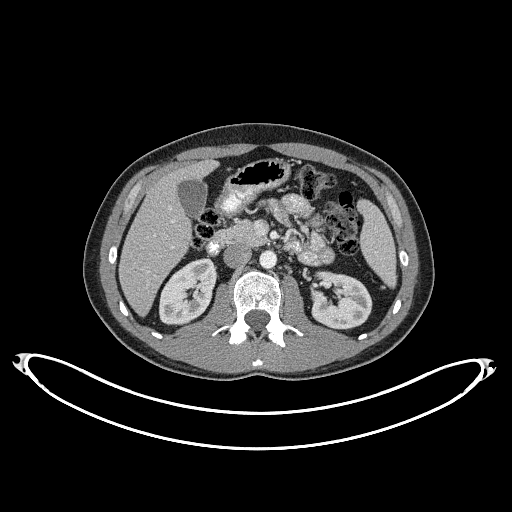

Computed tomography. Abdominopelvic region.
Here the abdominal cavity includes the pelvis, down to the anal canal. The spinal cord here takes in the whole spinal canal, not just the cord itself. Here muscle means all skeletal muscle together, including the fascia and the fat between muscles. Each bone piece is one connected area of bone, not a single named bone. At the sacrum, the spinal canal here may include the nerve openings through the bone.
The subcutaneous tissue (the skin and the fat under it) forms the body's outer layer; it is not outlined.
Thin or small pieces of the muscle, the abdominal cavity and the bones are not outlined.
Outlines (x, y in pixels):
spinal cord: 255,331 260,331 261,330 264,329 264,326 267,323 267,322 269,320 269,315 265,311 264,311 263,310 252,310 251,311 248,312 245,315 245,320 246,321 246,322 251,327 251,329 252,329
muscle: 219,373 238,373 251,369 264,369 269,371 283,373 284,372 295,372 296,371 303,371 307,369 313,369 316,367 333,362 336,360 342,360 351,357 359,353 365,348 381,340 395,329 403,320 408,313 408,311 412,304 412,300 417,282 417,276 418,275 417,274 418,273 418,265 419,264 418,251 417,250 412,221 405,201 395,184 385,174 358,160 351,158 331,149 328,149 311,144 307,144 306,143 300,143 299,142 279,142 278,143 258,143 257,144 254,144 253,143 229,143 228,144 211,145 210,146 200,146 195,148 191,148 182,151 175,155 163,158 154,163 152,163 135,173 129,179 119,194 112,208 111,213 108,217 106,226 101,239 101,244 99,249 99,268 98,270 99,271 100,282 104,291 107,306 113,316 126,330 157,352 170,359 179,360 202,369 205,369 213,372 218,372; inner edges: 282,347 285,330 303,335 280,319 286,274 310,320 358,339 392,304 398,311 408,256 383,207 357,175 265,147 166,173 108,253 121,312 162,338 201,319 226,282 236,319 212,335 227,329 236,344 266,335, then 398,226 400,226 402,224 402,218 401,217 401,215 400,214 399,209 392,195 390,193 386,193 386,199 387,200 387,203 391,210 391,213 396,223 398,225, then 125,212 127,211 128,209 129,209 129,208 131,206 133,202 133,200 137,195 141,187 141,181 138,181 131,188 130,191 128,193 126,197 126,199 124,202 124,205 123,206 123,208, then 254,366 256,366 257,365 261,365 262,364 262,361 259,358 257,358 255,360 254,360 252,362 252,364
torso: 220,381 252,375 303,380 343,372 383,356 413,328 432,293 433,253 419,205 388,163 322,132 287,124 244,122 204,129 161,145 137,158 114,180 94,216 84,247 82,274 93,309 109,331 143,359 172,372
abdominal cavity: 348,335 379,323 401,281 392,225 360,177 261,147 170,171 145,193 116,260 118,288 138,322 170,333 197,321 211,307 221,282 229,285 234,309 235,280 258,269 279,279 280,317 281,279 289,274 310,320
bones 1: 282,347 285,344 285,330 290,329 298,335 303,333 283,323 279,317 282,293 278,279 258,270 244,273 233,286 235,321 231,325 218,328 212,335 227,329 230,332 229,342 236,344 249,335 256,340 266,335, around a hole outlined by 255,331 260,331 261,330 264,329 264,326 267,323 267,322 269,320 269,315 265,311 264,311 263,310 252,310 251,311 248,312 245,315 245,320 246,321 246,322 251,327 251,329 252,329
bones 2: 398,226 400,226 402,224 402,218 401,217 401,215 400,214 399,209 392,195 390,193 386,193 386,199 387,200 387,203 391,210 391,213 396,223 398,225
bones 3: 125,212 127,211 128,209 129,209 129,208 131,206 133,202 133,200 137,195 141,187 141,181 138,181 131,188 130,191 128,193 126,197 126,199 124,202 124,205 123,206 123,208
bones 4: 110,263 114,263 115,262 115,260 116,259 116,258 117,257 117,249 118,248 118,244 117,245 113,245 110,248 110,249 109,250 109,252 108,253 108,261
bones 5: 404,266 406,266 408,264 408,256 407,255 407,254 406,253 406,252 404,250 403,250 402,249 401,250 399,250 398,251 398,255 399,256 399,259 400,260 400,262 401,263 401,264 402,265 403,265